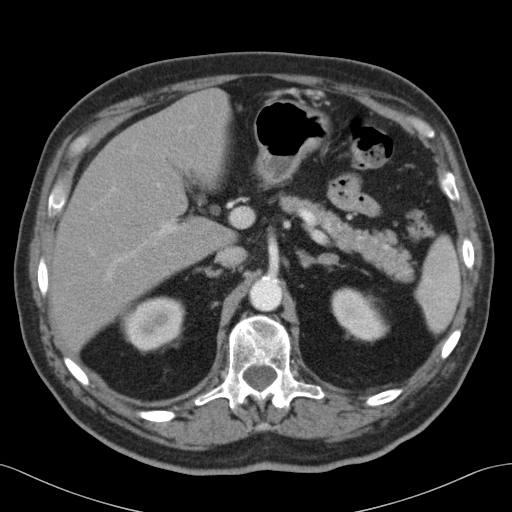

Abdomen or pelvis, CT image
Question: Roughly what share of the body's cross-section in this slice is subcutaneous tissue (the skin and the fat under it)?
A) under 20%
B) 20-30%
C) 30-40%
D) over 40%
Answer: A) under 20%
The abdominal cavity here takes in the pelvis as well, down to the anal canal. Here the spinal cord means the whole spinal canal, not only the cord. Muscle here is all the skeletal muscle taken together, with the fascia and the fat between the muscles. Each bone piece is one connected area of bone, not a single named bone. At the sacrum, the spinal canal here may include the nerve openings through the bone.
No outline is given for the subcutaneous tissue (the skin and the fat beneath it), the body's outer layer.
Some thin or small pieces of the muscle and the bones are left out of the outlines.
The torso is outlined by [[245,50],[355,59],[385,67],[420,87],[444,111],[458,135],[493,237],[487,326],[454,397],[427,427],[391,451],[325,472],[190,475],[124,455],[86,432],[64,411],[34,368],[19,326],[13,287],[19,223],[42,148],[58,120],[93,88],[135,66]]. The muscle is outlined by [[254,72],[288,73],[289,74],[303,74],[319,76],[328,78],[337,82],[350,83],[354,85],[383,91],[404,99],[417,108],[428,119],[439,126],[445,132],[454,150],[459,164],[461,175],[464,181],[466,191],[471,202],[473,211],[477,218],[476,219],[481,235],[482,244],[481,272],[476,291],[476,297],[471,314],[471,323],[467,334],[467,344],[461,353],[460,358],[457,362],[457,365],[453,371],[436,390],[383,428],[378,429],[369,434],[349,438],[339,442],[333,442],[330,444],[323,444],[306,442],[301,439],[294,439],[288,436],[268,431],[252,434],[245,438],[225,444],[220,444],[213,448],[206,450],[179,449],[142,437],[122,426],[108,420],[98,412],[78,401],[56,379],[44,356],[37,313],[32,300],[32,290],[28,271],[28,250],[30,244],[30,237],[33,232],[35,224],[37,205],[47,167],[51,162],[56,150],[63,140],[76,127],[87,120],[95,113],[109,105],[124,99],[149,91],[153,91],[160,87],[184,80],[220,74],[240,74]], around holes outlined by [[259,76],[353,97],[418,138],[438,176],[454,175],[457,311],[389,402],[370,406],[368,395],[334,389],[292,351],[294,378],[319,385],[322,398],[296,396],[288,410],[251,396],[235,412],[226,397],[196,405],[228,371],[225,344],[204,386],[165,409],[172,419],[144,419],[84,369],[83,385],[64,363],[67,356],[80,365],[37,281],[59,215],[47,215],[48,197],[59,177],[67,196],[86,154],[132,115]] and by [[410,115],[413,115],[414,116],[416,116],[425,121],[434,130],[435,132],[435,135],[434,137],[433,138],[428,138],[423,135],[421,135],[417,131],[417,130],[415,128],[414,128],[411,125],[411,124],[405,119],[405,117],[406,116],[409,116]] and by [[88,131],[90,131],[90,140],[89,141],[89,142],[87,144],[87,145],[82,150],[82,151],[80,153],[79,153],[74,156],[69,156],[68,155],[68,149],[69,148],[69,146],[70,145],[71,142],[77,136],[78,136],[83,133],[85,133]] and by [[465,237],[469,238],[469,239],[472,243],[473,249],[474,250],[474,263],[473,264],[473,267],[471,269],[468,269],[466,267],[466,266],[464,264],[463,258],[462,257],[462,252],[461,251],[461,247],[462,246],[462,242],[463,241],[463,239]] and by [[455,329],[460,329],[461,330],[461,334],[460,335],[460,337],[459,338],[456,345],[454,347],[454,348],[452,350],[452,351],[449,354],[449,355],[446,358],[443,359],[440,356],[440,353],[441,352],[441,348],[442,347],[444,342],[446,340],[446,339]] and by [[262,423],[267,423],[269,425],[269,426],[270,427],[269,428],[269,429],[267,429],[266,430],[258,430],[257,429],[257,426],[258,425],[259,425],[260,424],[261,424]]. The spinal cord is outlined by [[253,365],[255,365],[256,366],[268,366],[272,368],[275,371],[276,373],[276,377],[274,379],[274,380],[270,384],[269,384],[266,387],[265,387],[261,390],[258,390],[254,388],[252,386],[251,386],[243,378],[243,374],[244,372],[249,367]]. The bones appear in 11 outlined pieces: piece 1: [[253,314],[265,314],[285,327],[294,378],[319,385],[324,392],[322,398],[296,396],[288,410],[274,406],[269,397],[261,407],[249,396],[245,403],[237,405],[235,412],[226,397],[201,405],[194,403],[196,396],[223,381],[228,371],[229,333],[240,319]] with a hole at [[253,365],[255,365],[256,366],[268,366],[272,368],[275,371],[276,373],[276,377],[274,379],[274,380],[270,384],[269,384],[266,387],[265,387],[261,390],[258,390],[254,388],[252,386],[251,386],[243,378],[243,374],[244,372],[249,367]]; piece 2: [[59,177],[61,178],[64,178],[65,179],[65,190],[66,191],[66,200],[65,201],[65,203],[64,205],[62,207],[59,213],[58,213],[56,215],[52,217],[49,217],[47,215],[47,207],[48,206],[48,197],[51,192],[51,190],[56,180]]; piece 3: [[446,170],[449,170],[454,175],[455,177],[455,184],[458,190],[458,192],[459,193],[459,197],[460,198],[459,201],[454,201],[453,200],[449,199],[446,194],[442,190],[440,186],[440,184],[439,183],[439,176],[441,175],[443,173],[443,172]]; piece 4: [[395,387],[401,387],[403,389],[403,390],[401,392],[401,393],[393,400],[389,402],[387,402],[383,404],[380,404],[379,405],[376,405],[375,406],[370,406],[369,405],[365,404],[365,400],[369,396],[376,394],[384,390],[386,390],[390,388],[394,388]]; piece 5: [[149,409],[165,409],[166,410],[169,410],[170,411],[173,411],[175,413],[175,416],[172,419],[171,419],[168,421],[151,421],[150,420],[148,420],[147,419],[144,419],[143,418],[138,416],[136,414],[137,411],[138,411],[139,410],[148,410]]; piece 6: [[410,115],[413,115],[414,116],[416,116],[425,121],[434,130],[435,132],[435,135],[434,137],[433,138],[428,138],[423,135],[421,135],[417,131],[417,130],[415,128],[414,128],[411,125],[411,124],[405,119],[405,117],[406,116],[409,116]]; piece 7: [[42,256],[43,257],[44,257],[44,259],[46,262],[46,265],[47,266],[47,282],[48,283],[48,287],[47,288],[47,292],[44,296],[43,296],[40,292],[40,290],[38,287],[38,282],[37,281],[37,268],[38,267],[38,264],[39,263],[39,260]]; piece 8: [[88,131],[90,131],[90,140],[89,141],[89,142],[87,144],[87,145],[82,150],[82,151],[80,153],[79,153],[74,156],[69,156],[68,155],[68,149],[69,148],[69,146],[70,145],[71,142],[77,136],[78,136],[83,133],[85,133]]; piece 9: [[64,356],[67,356],[69,357],[72,360],[72,362],[73,363],[76,364],[83,370],[83,371],[87,375],[89,379],[89,384],[88,385],[83,385],[78,380],[77,380],[76,378],[69,371],[66,365],[64,363],[64,361],[63,360],[63,357]]; piece 10: [[465,237],[469,238],[469,239],[472,243],[473,249],[474,250],[474,263],[473,264],[473,267],[471,269],[468,269],[466,267],[466,266],[464,264],[463,258],[462,257],[462,252],[461,251],[461,247],[462,246],[462,242],[463,241],[463,239]]; piece 11: [[455,329],[460,329],[461,330],[461,334],[460,335],[460,337],[459,338],[456,345],[454,347],[454,348],[452,350],[452,351],[449,354],[449,355],[446,358],[443,359],[440,356],[440,353],[441,352],[441,348],[442,347],[444,342],[446,340],[446,339]]. The abdominal cavity is outlined by [[259,76],[353,97],[423,143],[456,228],[463,274],[457,311],[447,335],[403,383],[359,396],[310,375],[279,320],[246,315],[230,329],[212,374],[192,397],[166,408],[140,409],[81,367],[56,331],[48,295],[56,221],[86,154],[124,120],[182,93]].